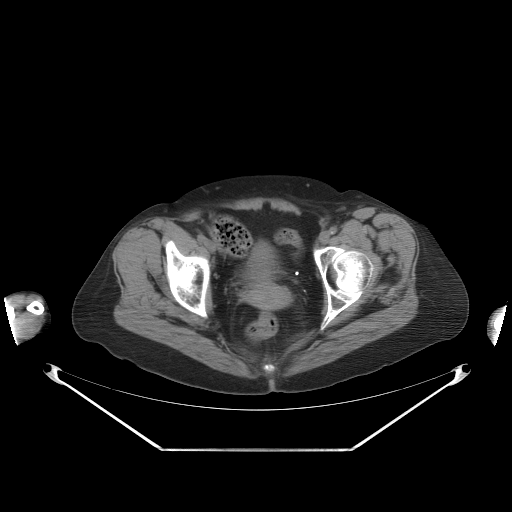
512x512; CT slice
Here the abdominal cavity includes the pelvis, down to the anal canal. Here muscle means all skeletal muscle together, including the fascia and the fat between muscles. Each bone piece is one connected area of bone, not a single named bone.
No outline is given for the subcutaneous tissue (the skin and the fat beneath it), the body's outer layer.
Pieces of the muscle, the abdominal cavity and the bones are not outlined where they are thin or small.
{"torso":[[[245,174],[302,175],[324,181],[339,191],[357,189],[423,223],[466,287],[469,315],[464,328],[451,339],[365,375],[319,389],[260,395],[228,394],[185,385],[146,371],[80,338],[71,323],[75,295],[127,221],[145,208],[173,201],[196,186]]],"left_arm":[[[497,307],[499,307],[499,308],[496,312],[496,313],[494,315],[494,316],[492,318],[492,320],[491,321],[491,326],[490,327],[490,339],[489,339],[486,335],[486,322],[487,321],[487,318],[488,317],[489,314],[492,311],[492,310],[493,310]]],"abdominal_cavity":[[[214,209],[269,210],[298,216],[304,212],[319,219],[321,229],[313,241],[313,247],[317,248],[312,249],[312,257],[322,283],[320,316],[309,331],[274,355],[259,355],[224,339],[217,323],[211,285],[213,261],[210,253],[197,240],[197,219]]],"bones":[[[331,246],[341,246],[346,250],[354,249],[364,253],[373,265],[373,274],[369,281],[367,283],[366,282],[365,283],[362,293],[359,298],[345,309],[342,310],[323,330],[321,330],[320,324],[327,311],[327,293],[323,285],[319,270],[314,261],[313,249]],[[168,240],[172,240],[179,251],[184,255],[201,255],[206,257],[209,260],[209,263],[210,264],[210,283],[205,294],[205,307],[207,313],[207,317],[206,318],[204,318],[180,305],[175,300],[171,293],[166,275],[167,260],[164,249],[164,244]],[[33,300],[39,300],[41,302],[41,303],[43,305],[43,306],[44,307],[44,310],[43,311],[43,312],[41,314],[40,314],[39,315],[37,315],[36,314],[34,314],[32,312],[31,312],[30,311],[28,311],[26,309],[26,306],[28,304],[29,304]]],"muscle":[{"outer":[[261,190],[303,200],[365,202],[386,208],[406,220],[419,242],[415,270],[419,303],[415,317],[392,333],[329,363],[287,377],[255,379],[213,369],[118,325],[113,310],[120,288],[113,271],[112,252],[129,228],[145,218],[169,215],[201,200],[231,198]],"holes":[[[214,209],[312,214],[321,227],[313,247],[364,253],[372,277],[323,330],[323,285],[320,316],[309,331],[274,355],[247,350],[224,339],[210,283],[204,318],[175,300],[166,275],[168,240],[184,255],[206,257],[212,267],[210,253],[197,240],[197,219]],[[267,363],[271,363],[275,367],[275,368],[274,369],[274,370],[273,371],[272,371],[271,372],[267,372],[266,371],[265,371],[264,370],[264,369],[263,368],[263,366],[265,364],[266,364]]]},[[18,294],[37,295],[42,300],[43,304],[39,299],[33,299],[25,306],[25,309],[28,312],[37,316],[41,315],[45,310],[46,313],[44,317],[45,320],[41,327],[34,333],[24,338],[18,337],[18,332],[16,330],[15,305],[11,304],[8,298]]],"right_arm":[[[23,289],[35,290],[43,295],[49,306],[49,309],[51,313],[51,323],[49,327],[44,332],[36,335],[33,338],[27,341],[20,343],[18,339],[19,338],[18,337],[18,332],[16,330],[15,305],[10,303],[7,295],[11,292],[17,290],[22,290]]]}